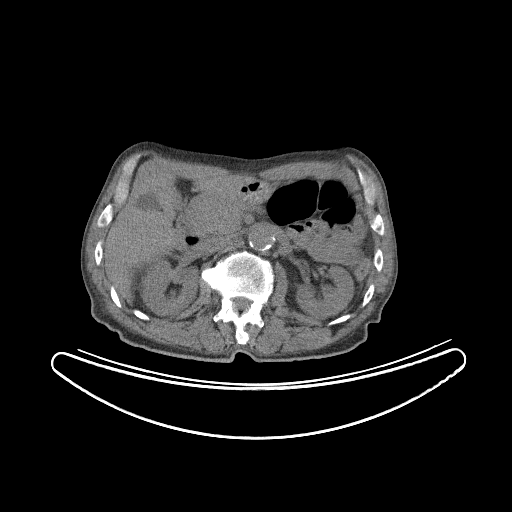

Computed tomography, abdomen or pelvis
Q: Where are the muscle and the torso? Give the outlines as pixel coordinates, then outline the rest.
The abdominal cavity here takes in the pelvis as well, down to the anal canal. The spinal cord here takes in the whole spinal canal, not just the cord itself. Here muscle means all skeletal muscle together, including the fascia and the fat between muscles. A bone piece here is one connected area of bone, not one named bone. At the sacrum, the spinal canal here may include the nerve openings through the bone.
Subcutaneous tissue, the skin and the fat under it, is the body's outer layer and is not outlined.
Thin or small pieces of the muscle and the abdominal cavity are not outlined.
A: Outlined structures:
muscle: 139,149 152,149 156,152 161,153 164,156 168,156 171,158 175,158 184,161 201,162 205,164 217,165 234,171 245,171 246,172 254,172 255,173 276,165 289,162 303,161 304,160 330,160 331,159 336,159 342,154 345,153 354,154 360,159 363,160 372,169 381,186 386,214 388,218 391,231 392,251 393,252 393,257 392,258 393,259 393,270 392,271 390,285 388,289 370,315 364,319 352,333 348,334 329,345 321,347 318,349 306,350 300,352 292,352 291,353 286,353 282,355 259,355 247,347 242,345 237,347 232,347 226,353 220,353 219,354 205,353 204,352 199,352 196,350 188,350 180,348 177,346 172,346 156,342 140,334 137,334 128,330 104,311 104,306 94,289 90,276 86,270 86,242 94,215 104,194 106,192 108,186 110,184 110,182 113,178 114,174 117,170 117,168 121,162 127,156, around holes outlined by 136,153 141,154 140,160 148,157 185,177 240,174 273,180 308,175 342,179 352,187 368,219 378,213 384,223 383,235 372,231 373,250 381,250 383,265 380,271 374,265 371,269 365,288 374,285 370,300 363,307 360,303 345,321 328,325 287,305 288,276 277,261 272,293 260,311 263,325 245,325 249,336 245,344 237,343 232,321 214,321 221,297 199,275 197,298 174,317 150,316 144,320 121,300 118,307 110,295 113,284 105,274 104,262 95,262 96,243 104,239 108,228 98,227 97,220 109,203 114,213 120,208 114,201 115,188 124,164 and by 357,167 360,168 366,174 367,174 371,178 374,184 375,190 376,191 376,195 375,196 375,202 373,206 370,206 368,205 365,201 365,199 364,198 364,191 363,190 363,187 359,181 358,174 356,170
torso: 142,140 245,158 338,146 364,152 386,186 398,255 394,289 380,321 368,325 367,339 346,353 320,359 257,362 238,352 231,362 218,363 131,346 97,322 90,313 90,299 80,270 82,235 114,160 125,148
spinal cord: 235,297 244,297 250,300 251,301 251,303 249,307 247,309 245,309 241,311 239,311 238,310 236,310 234,309 233,307 233,301 232,299
bones 1: 241,250 268,260 274,274 272,293 260,311 263,325 259,327 249,322 245,325 244,329 249,336 245,344 237,343 232,321 224,322 220,319 214,321 213,317 221,307 221,297 200,276 204,268 211,267 221,258; inner edge: 235,297 244,297 250,300 251,301 251,303 249,307 247,309 245,309 241,311 239,311 238,310 236,310 234,309 233,307 233,301 232,299
bones 2: 136,153 140,153 141,155 137,161 135,167 133,169 131,175 131,178 129,182 129,189 128,190 127,196 124,202 121,205 117,205 114,201 114,194 115,193 115,188 118,183 119,178 123,171 123,166 124,164
bones 3: 357,167 360,168 366,174 367,174 371,178 374,184 375,190 376,191 376,195 375,196 375,202 373,206 370,206 368,205 365,201 365,199 364,198 364,191 363,190 363,187 359,181 358,174 356,170
bones 4: 109,203 111,203 113,205 113,216 111,219 111,221 107,226 105,226 104,227 98,227 97,226 97,220 98,219 98,217 100,215 100,214 101,213 101,212 102,211 102,210 106,206 106,205 107,205
bones 5: 377,213 378,213 381,216 381,217 382,218 382,219 383,220 383,222 384,223 384,234 383,235 379,235 376,232 375,232 371,228 371,227 370,226 370,220 371,220 373,218 373,217
bones 6: 377,248 379,248 381,250 381,251 382,252 382,254 383,255 383,265 382,266 382,268 380,271 377,271 377,270 376,269 376,268 375,267 375,266 373,263 373,258 374,257 374,252 375,251 375,250
bones 7: 99,240 102,240 103,241 103,242 102,243 102,259 101,260 101,261 100,262 100,264 99,265 97,265 96,264 96,263 95,262 95,258 94,257 94,251 95,250 95,246 96,245 96,243
bones 8: 371,283 372,283 374,285 374,290 373,291 373,294 372,295 372,296 371,297 370,300 363,307 362,307 361,306 361,302 363,299 363,296 364,295 364,293 366,291 366,290 368,288 369,285
bones 9: 111,285 113,285 113,286 114,287 114,288 115,289 115,290 117,293 117,295 118,296 118,297 119,298 119,300 121,303 121,307 118,307 115,304 115,303 111,298 111,296 110,295 110,287 111,286
bones 10: 349,313 350,313 351,316 345,321 344,321 343,322 341,322 340,323 337,323 336,324 333,324 332,325 328,325 327,324 327,323 329,321 330,321 331,320 333,320 342,315 344,315 345,314 348,314
bones 11: 134,309 136,309 137,310 139,310 140,311 141,311 142,312 143,312 145,314 146,314 149,317 149,319 148,320 144,320 143,319 141,319 140,318 139,318 137,316 136,316 133,313 133,310
abdominal cavity: 146,157 185,177 240,174 280,180 311,175 345,181 362,205 373,238 373,266 360,303 324,322 291,309 286,303 286,269 241,249 202,265 197,298 174,317 149,316 128,307 105,274 103,240 128,196 138,163